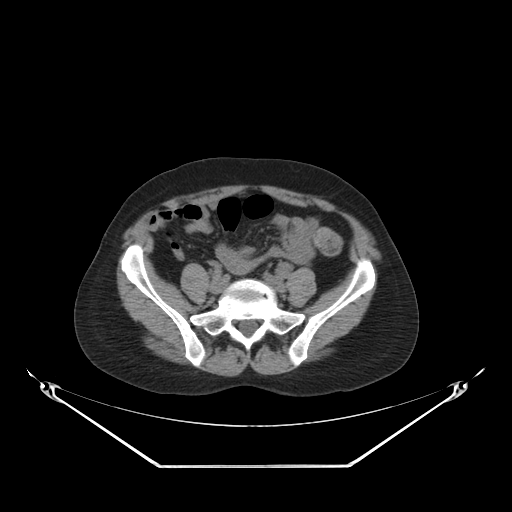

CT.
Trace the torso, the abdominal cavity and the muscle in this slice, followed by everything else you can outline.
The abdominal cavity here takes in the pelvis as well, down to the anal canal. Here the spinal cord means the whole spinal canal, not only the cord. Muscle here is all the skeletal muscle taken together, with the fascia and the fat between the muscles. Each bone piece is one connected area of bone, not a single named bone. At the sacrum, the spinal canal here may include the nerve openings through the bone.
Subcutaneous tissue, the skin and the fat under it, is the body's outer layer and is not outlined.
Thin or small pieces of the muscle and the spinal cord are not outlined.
Outlines (x, y in pixels):
torso: [[218,156],[311,163],[337,174],[368,198],[402,258],[418,304],[417,340],[409,359],[398,371],[349,392],[311,397],[278,395],[250,386],[207,395],[178,395],[139,389],[106,374],[89,361],[75,336],[74,301],[112,218],[124,200],[153,176],[190,161]]
abdominal cavity: [[248,189],[294,206],[315,205],[343,217],[352,230],[348,254],[352,265],[337,284],[298,311],[281,308],[275,290],[267,283],[244,277],[222,291],[215,307],[199,312],[198,306],[156,271],[150,258],[154,241],[148,216],[162,206],[184,201],[209,203]] with a hole at [[300,268],[308,268],[313,272],[315,276],[315,283],[316,284],[316,290],[314,294],[311,297],[310,297],[302,306],[300,307],[296,307],[295,306],[292,306],[290,302],[288,300],[287,297],[289,293],[286,289],[285,285],[287,281],[288,275],[290,273]]
muscle 1: [[236,184],[272,185],[318,196],[354,216],[374,236],[376,246],[382,256],[381,262],[377,265],[378,278],[376,290],[361,321],[347,334],[331,344],[336,350],[329,356],[300,365],[308,357],[310,343],[318,329],[328,319],[374,287],[376,282],[374,265],[368,257],[359,257],[347,286],[331,304],[308,317],[304,313],[298,312],[312,304],[322,293],[337,285],[345,277],[353,265],[349,255],[353,230],[349,222],[334,211],[324,210],[315,204],[306,206],[294,205],[279,200],[260,189],[251,188],[224,194],[209,202],[184,200],[175,205],[162,205],[156,207],[147,216],[146,227],[153,241],[149,258],[155,271],[161,278],[173,284],[191,305],[199,308],[197,313],[193,313],[187,318],[165,301],[149,278],[142,245],[137,242],[129,244],[123,251],[119,261],[121,271],[133,285],[171,319],[182,339],[184,357],[191,364],[182,365],[166,360],[153,354],[143,345],[141,340],[143,328],[129,316],[122,306],[117,290],[116,265],[120,246],[123,241],[121,238],[123,232],[138,217],[160,202],[175,196],[208,188]]
muscle 2: [[301,325],[301,330],[287,349],[288,359],[296,368],[293,370],[279,374],[260,374],[247,367],[238,375],[224,376],[196,368],[201,366],[206,357],[206,350],[193,327],[201,328],[213,337],[225,332],[233,341],[249,351],[253,344],[268,332],[281,336]]
muscle 3: [[300,268],[308,268],[313,272],[315,276],[315,283],[316,284],[316,290],[314,294],[311,297],[310,297],[302,306],[300,307],[296,307],[295,306],[292,306],[290,302],[288,300],[287,297],[289,293],[286,289],[285,285],[287,281],[288,275],[290,273]]
muscle 4: [[191,263],[196,263],[202,266],[203,268],[207,272],[208,276],[209,277],[209,289],[206,293],[206,297],[205,299],[201,303],[195,302],[193,300],[189,298],[181,289],[181,286],[180,285],[180,278],[181,277],[182,270],[186,265],[190,264]]
spinal cord: [[234,320],[236,320],[238,324],[240,321],[244,321],[245,320],[254,320],[257,322],[258,324],[258,326],[251,334],[251,335],[249,336],[246,336],[244,335],[240,331],[240,330],[238,328],[238,325],[237,324],[236,325],[234,325],[233,324],[233,321]]
bones: [[134,243],[154,289],[187,319],[215,308],[244,278],[267,284],[281,309],[307,318],[343,293],[359,258],[371,261],[375,282],[317,329],[297,367],[288,349],[303,324],[268,331],[249,350],[225,331],[193,326],[205,350],[195,367],[172,319],[121,269]] with a hole at [[234,320],[236,320],[238,324],[240,321],[244,321],[245,320],[254,320],[257,322],[258,324],[258,326],[251,334],[251,335],[249,336],[246,336],[244,335],[240,331],[240,330],[238,328],[238,325],[237,324],[236,325],[234,325],[233,324],[233,321]]